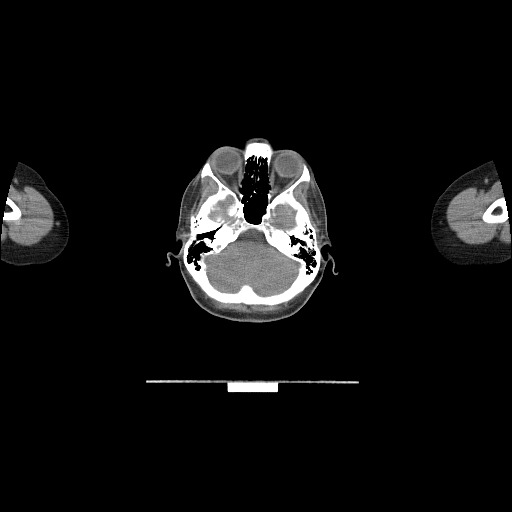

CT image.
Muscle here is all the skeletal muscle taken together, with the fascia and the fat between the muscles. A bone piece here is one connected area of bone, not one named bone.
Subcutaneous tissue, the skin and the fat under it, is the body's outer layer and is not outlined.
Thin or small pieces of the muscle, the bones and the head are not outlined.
The right arm is outlined by (20, 161) (29, 165) (40, 174) (45, 181) (47, 186) (63, 205) (69, 221) (69, 239) (67, 245) (63, 251) (51, 261) (39, 265) (15, 266) (8, 264) (1, 259) (1, 234) (2, 233) (2, 224) (4, 221) (3, 217) (7, 204) (10, 184) (12, 181) (17, 164). The bones appear in 5 outlined pieces: piece 1: (207, 161) (231, 189) (242, 177) (244, 213) (253, 223) (265, 211) (269, 177) (278, 193) (306, 165) (309, 181) (300, 182) (293, 195) (308, 211) (321, 259) (314, 279) (291, 299) (271, 305) (221, 302) (187, 271) (182, 245) (190, 217) (218, 188) (210, 176) (201, 177), around holes outlined by (250, 230) (260, 233) (269, 246) (275, 248) (298, 264) (296, 275) (289, 285) (281, 291) (263, 295) (258, 293) (248, 283) (243, 283) (235, 291) (224, 291) (211, 282) (207, 272) (208, 266) (206, 259) (211, 255) (218, 254) (229, 244) (235, 242) (242, 234) and by (280, 205) (285, 205) (286, 206) (288, 206) (294, 211) (294, 213) (293, 214) (293, 221) (294, 222) (294, 224) (292, 226) (288, 227) (287, 228) (283, 228) (282, 227) (277, 226) (272, 223) (272, 218) (273, 217) (275, 217) (277, 214) (275, 210) (277, 206) (279, 206) and by (228, 197) (231, 198) (231, 202) (229, 203) (225, 208) (225, 214) (229, 218) (231, 218) (232, 219) (230, 218) (229, 219) (227, 219) (220, 213) (217, 214) (215, 217) (211, 217) (210, 215) (212, 212) (218, 211) (220, 209) (220, 207) (218, 206) (218, 203) (224, 201); piece 2: (249, 142) (267, 142) (271, 146) (273, 150) (273, 154) (271, 157) (271, 165) (269, 168) (268, 174) (269, 175) (268, 176) (268, 167) (265, 159) (261, 160) (262, 164) (260, 166) (258, 166) (251, 159) (249, 159) (245, 165) (244, 164) (242, 150) (244, 149) (245, 145); piece 3: (502, 196) (503, 196) (505, 200) (505, 205) (506, 206) (506, 209) (507, 210) (507, 216) (508, 217) (507, 219) (505, 220) (504, 222) (502, 222) (501, 223) (487, 223) (485, 222) (482, 219) (482, 215) (483, 213) (488, 207) (488, 206) (491, 203) (492, 203) (496, 199); piece 4: (8, 197) (13, 202) (14, 202) (14, 203) (19, 208) (19, 209) (21, 212) (21, 216) (18, 220) (6, 220) (5, 221) (4, 221) (4, 220) (3, 219) (3, 217) (4, 216) (4, 212) (5, 211) (5, 208) (6, 207) (6, 205) (7, 204) (7, 200) (8, 199); piece 5: (256, 170) (257, 170) (257, 172) (256, 173) (259, 176) (259, 177) (260, 178) (260, 179) (258, 181) (255, 181) (253, 179) (252, 179) (250, 177) (250, 175) (251, 174) (252, 174) (253, 173) (253, 172) (254, 171) (255, 171). The brain appears in 3 outlined pieces: piece 1: (250, 230) (260, 233) (269, 246) (275, 248) (298, 264) (296, 275) (289, 285) (281, 291) (263, 295) (258, 293) (248, 283) (243, 283) (235, 291) (224, 291) (211, 282) (207, 272) (208, 266) (206, 259) (211, 255) (218, 254) (229, 244) (235, 242) (242, 234); piece 2: (280, 205) (285, 205) (286, 206) (288, 206) (294, 211) (294, 213) (293, 214) (293, 221) (294, 222) (294, 224) (292, 226) (288, 227) (287, 228) (283, 228) (282, 227) (277, 226) (272, 223) (272, 218) (273, 217) (275, 217) (277, 214) (275, 210) (277, 206) (279, 206); piece 3: (228, 197) (231, 198) (231, 202) (229, 203) (225, 208) (225, 214) (229, 218) (231, 218) (232, 219) (230, 218) (229, 219) (227, 219) (220, 213) (217, 214) (215, 217) (211, 217) (210, 215) (212, 212) (218, 211) (220, 209) (220, 207) (218, 206) (218, 203) (224, 201). The muscle appears in 5 outlined pieces: piece 1: (494, 176) (499, 178) (503, 195) (496, 198) (487, 206) (481, 215) (481, 219) (487, 224) (501, 224) (508, 220) (509, 235) (511, 240) (509, 243) (499, 241) (489, 244) (467, 244) (461, 241) (448, 227) (445, 218) (447, 206) (450, 200) (463, 189) (480, 183) (487, 177); piece 2: (12, 179) (15, 179) (27, 185) (30, 185) (39, 191) (49, 202) (54, 213) (55, 225) (53, 229) (49, 234) (45, 236) (37, 244) (31, 246) (23, 246) (11, 240) (2, 240) (1, 239) (2, 224) (6, 221) (18, 221) (22, 216) (22, 212) (20, 208) (8, 196); piece 3: (189, 274) (198, 286) (210, 298) (221, 303) (229, 303) (230, 304) (240, 304) (241, 303) (246, 305) (268, 305) (271, 306) (287, 302) (302, 292) (306, 288) (306, 289) (301, 297) (291, 307) (284, 310) (274, 313) (241, 313) (217, 309) (208, 304) (200, 296) (196, 286); piece 4: (310, 179) (314, 188) (315, 195) (322, 215) (322, 232) (321, 234) (323, 236) (321, 240) (321, 243) (319, 245) (317, 239) (317, 235) (315, 232) (315, 227) (312, 223) (309, 211) (305, 208) (294, 195) (294, 190) (295, 188) (302, 182) (306, 182) (307, 183) (309, 182); piece 5: (200, 177) (202, 179) (205, 177) (210, 177) (215, 182) (217, 188) (215, 192) (209, 194) (205, 198) (196, 212) (192, 213) (190, 215) (189, 217) (189, 228) (186, 235) (183, 229) (185, 226) (186, 205) (189, 201) (189, 198) (194, 188) (194, 186) (196, 182) (200, 179). The left arm is outlined by (489, 160) (492, 160) (495, 166) (501, 184) (503, 197) (505, 200) (508, 217) (507, 219) (509, 223) (509, 235) (511, 238) (510, 258) (502, 263) (486, 266) (457, 265) (445, 259) (437, 251) (433, 244) (430, 234) (430, 217) (432, 209) (438, 196) (457, 177) (466, 171). The head is outlined by (249, 137) (265, 137) (273, 150) (295, 150) (310, 163) (332, 244) (320, 253) (330, 253) (336, 272) (328, 261) (305, 304) (272, 322) (206, 312) (191, 296) (178, 260) (171, 256) (166, 265) (167, 253) (182, 247) (175, 231) (186, 186) (211, 151) (225, 145) (243, 150), around a hole outlined by (249, 160) (251, 160) (258, 167) (260, 167) (263, 164) (262, 160) (265, 160) (267, 167) (267, 176) (269, 188) (266, 193) (266, 204) (264, 211) (261, 214) (258, 222) (250, 221) (246, 217) (245, 203) (243, 200) (244, 194) (241, 191) (242, 180) (245, 172) (245, 166).